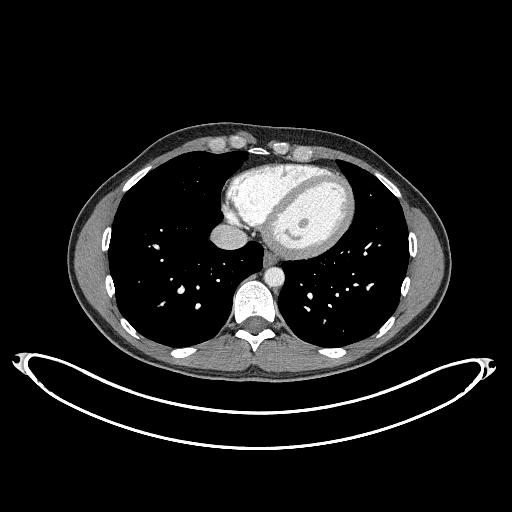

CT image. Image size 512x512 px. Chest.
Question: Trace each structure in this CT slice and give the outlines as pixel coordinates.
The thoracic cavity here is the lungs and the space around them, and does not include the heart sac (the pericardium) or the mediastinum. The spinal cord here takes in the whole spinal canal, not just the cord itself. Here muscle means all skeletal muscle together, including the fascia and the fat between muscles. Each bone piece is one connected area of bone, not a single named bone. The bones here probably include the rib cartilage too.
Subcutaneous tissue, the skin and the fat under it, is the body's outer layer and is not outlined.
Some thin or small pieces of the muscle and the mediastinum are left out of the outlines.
Answer: The mediastinum appears in 4 outlined pieces: piece 1: 276,301 278,294 283,285 285,279 283,270 281,268 281,264 285,260 276,256 270,251 267,251 263,248 264,251 263,252 263,261 262,262 261,269 245,279 248,280 249,279 256,279 261,281 268,287; piece 2: 223,249 236,249 237,248 239,248 243,246 248,241 250,240 252,240 246,234 245,234 240,230 232,226 230,226 225,221 222,220 222,221 212,230 210,234 209,239 216,246 220,248 222,248; piece 3: 233,174 249,166 255,164 258,164 262,162 265,162 266,161 276,161 277,160 283,160 284,161 285,160 286,161 297,161 286,160 270,154 269,155 255,155 254,154 248,153 247,158 243,161 241,167; piece 4: 343,174 343,173 340,170 339,167 337,165 335,160 331,160 330,161 320,161 319,162 304,162 311,162 312,163 318,163 319,164 324,164 327,166 329,166 330,167 335,169 337,171 338,171. The pericardium is outlined by 285,259 307,258 323,252 333,245 350,225 354,215 355,204 351,186 344,175 324,165 303,162 277,161 266,162 249,167 232,175 225,182 221,192 221,206 224,213 223,219 230,225 246,233 267,250 270,250. The bones appear in 14 outlined pieces: piece 1: 253,351 256,350 259,344 264,339 273,337 275,334 274,331 269,326 275,319 275,304 270,291 265,285 256,280 248,281 244,280 237,288 233,296 233,319 240,326 236,331 235,335 237,337 245,339 251,345; inner edge: 253,334 256,334 258,332 261,331 267,326 267,323 266,321 261,317 258,317 257,316 254,316 253,317 249,317 245,321 244,321 243,323 243,325 242,327 244,329 247,330 249,332; piece 2: 298,161 309,161 313,155 313,151 311,149 305,146 298,146 291,150 290,149 290,146 287,142 275,142 272,145 272,149 273,150 273,152 275,154 283,155 284,154 289,153 292,157 292,159 297,160; piece 3: 214,153 219,153 226,151 227,150 226,149 226,145 228,143 229,146 232,148 236,148 237,149 242,148 246,145 245,139 237,135 231,135 229,137 227,143 224,139 220,137 211,139 207,143 207,146 210,151; piece 4: 124,192 125,192 127,190 128,190 142,177 143,177 150,170 151,170 151,169 152,168 152,166 149,165 146,167 144,167 143,168 140,169 138,171 137,171 133,175 132,175 125,182 125,183 122,187 122,190; piece 5: 398,198 399,198 401,196 401,193 400,192 400,191 399,190 399,189 391,181 390,181 386,177 385,177 382,174 381,174 380,173 379,173 378,172 375,172 373,174 396,197 397,197; piece 6: 329,357 340,357 341,356 342,356 343,355 344,355 346,353 346,349 344,347 335,347 334,348 319,348 318,349 318,352 319,353 321,353 322,354 323,354 324,355 326,355 327,356 328,356; piece 7: 174,357 185,357 186,356 187,356 188,355 189,355 190,354 191,354 192,353 195,352 195,351 196,350 196,348 194,346 190,346 189,347 183,347 182,348 173,348 170,351 170,354 172,356 173,356; piece 8: 413,257 415,255 415,254 416,253 416,252 417,251 417,239 416,238 416,236 415,235 415,234 412,231 409,231 409,232 408,233 408,242 409,243 409,255 410,256 412,256; piece 9: 103,251 107,251 107,250 108,249 108,248 109,247 109,241 110,240 110,237 111,236 111,226 107,226 104,229 104,230 103,231 103,234 102,235 102,239 101,240 101,248 102,249 102,250; piece 10: 376,337 380,337 383,334 384,334 392,326 392,325 393,324 393,323 394,322 394,321 395,320 395,316 394,315 392,315 380,327 380,328 378,330 378,331 375,334 375,336; piece 11: 136,338 139,338 140,335 139,335 137,333 136,330 130,324 130,323 124,317 123,317 122,316 120,318 120,322 121,323 121,325 124,328 124,329 128,333 129,333 131,335 132,335 134,337 135,337; piece 12: 110,297 111,297 114,295 114,293 115,292 115,288 114,287 114,284 113,283 113,280 112,279 112,277 111,276 111,275 110,274 107,274 105,277 105,287 106,288 106,290 107,291 107,293 108,294 108,295; piece 13: 255,154 269,154 270,153 270,151 269,151 268,150 267,150 265,148 264,148 263,147 261,147 260,146 251,146 250,147 249,147 246,150 248,152 250,152 251,153 254,153; piece 14: 403,296 404,296 407,293 407,291 408,290 408,289 409,288 409,284 410,283 410,278 409,277 409,276 408,276 407,275 406,275 405,276 405,277 403,279 403,281 402,282 402,283 401,284 401,295 402,295. The thoracic cavity appears in 2 outlined pieces: piece 1: 171,347 196,345 212,338 230,313 239,283 261,267 263,251 258,243 250,241 239,249 223,250 208,239 223,218 220,192 224,182 240,167 246,151 179,155 150,171 124,194 118,207 108,250 117,305 138,333; piece 2: 319,347 345,346 377,331 398,303 400,284 409,256 408,231 397,198 373,175 342,160 336,161 351,184 355,197 353,221 338,241 323,253 307,259 283,262 282,268 286,279 277,300 279,310 294,334 301,340. The muscle appears in 4 outlined pieces: piece 1: 273,372 305,371 353,361 388,341 429,303 443,275 444,257 425,214 402,193 398,199 408,230 417,236 418,251 409,257 408,293 400,297 393,326 380,338 373,334 346,346 344,356 329,358 293,334 275,300 276,319 270,326 276,334 264,340 255,352 234,335 239,326 232,319 232,305 225,324 212,339 195,346 195,353 174,358 169,354 172,348 128,334 120,325 114,296 110,298 106,293 104,277 109,264 107,252 100,248 101,235 112,224 124,193 121,187 130,176 106,194 78,235 74,268 86,299 112,328 145,354 170,364 225,371 242,370 252,364; piece 2: 152,169 169,159 184,152 192,150 206,150 209,151 206,146 206,143 211,138 217,136 220,136 224,138 227,142 228,137 231,134 237,134 246,139 247,145 244,148 239,150 232,149 228,146 228,144 227,145 228,150 245,150 251,145 258,145 256,139 250,133 243,130 238,130 228,135 203,136 190,140 180,146 150,160 140,168 150,164 153,166; piece 3: 372,174 375,171 378,171 382,173 379,170 367,162 350,154 323,146 305,145 304,144 297,144 296,143 288,142 291,146 291,149 298,145 305,145 311,148 314,151 314,155 310,161 342,159 351,162; piece 4: 271,154 274,154 272,152 272,150 271,149 271,145 275,141 285,141 281,141 280,140 276,140 275,139 272,139 271,140 270,140 264,146 261,146 263,146 264,147 265,147 267,149 270,150 271,151. The spinal cord is outlined by 253,334 256,334 258,332 261,331 267,326 267,323 266,321 261,317 258,317 257,316 254,316 253,317 249,317 245,321 244,321 243,323 243,325 242,327 244,329 247,330 249,332. The torso is outlined by 265,382 312,379 351,370 395,349 417,333 438,308 449,283 451,252 446,230 432,205 411,182 374,150 345,135 242,122 210,122 180,128 147,146 85,202 68,241 67,271 72,290 100,332 138,360 193,377.